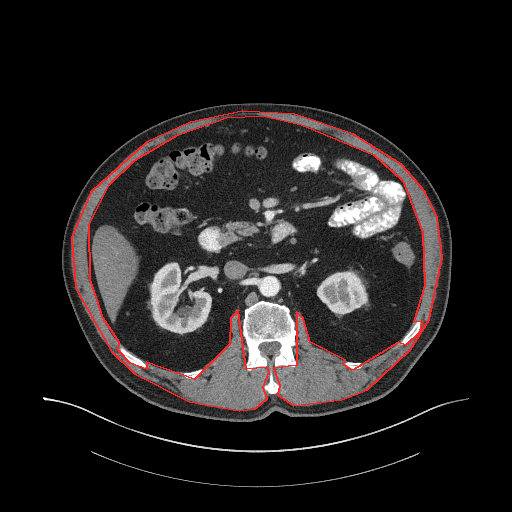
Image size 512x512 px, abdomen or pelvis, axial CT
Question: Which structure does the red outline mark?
Answer: red: muscle.
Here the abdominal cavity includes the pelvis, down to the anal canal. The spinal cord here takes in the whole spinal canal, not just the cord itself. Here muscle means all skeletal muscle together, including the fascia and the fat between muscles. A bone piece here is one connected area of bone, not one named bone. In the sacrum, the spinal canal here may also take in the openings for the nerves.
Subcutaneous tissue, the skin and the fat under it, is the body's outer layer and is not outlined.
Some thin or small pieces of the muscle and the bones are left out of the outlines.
{"muscle":[[[239,410],[255,408],[267,398],[263,387],[269,371],[266,367],[246,369],[238,310],[230,318],[229,344],[194,379],[146,362],[146,369],[130,363],[118,350],[119,342],[103,318],[90,279],[89,224],[109,184],[134,160],[178,134],[226,117],[263,115],[301,124],[373,154],[402,180],[422,232],[424,285],[413,321],[421,320],[420,331],[405,345],[398,342],[352,370],[343,364],[345,360],[310,342],[303,318],[296,312],[296,365],[273,368],[279,385],[277,394],[293,405],[341,399],[367,389],[410,349],[429,319],[442,257],[437,217],[425,192],[401,164],[353,134],[294,114],[242,111],[190,122],[146,142],[90,192],[71,237],[75,288],[111,351],[134,373],[189,401]]],"bones":[{"outer":[[270,394],[276,393],[278,390],[278,385],[273,379],[272,368],[279,365],[293,367],[295,365],[292,349],[296,344],[295,321],[286,305],[259,300],[244,309],[242,334],[248,353],[246,367],[248,370],[259,366],[266,366],[269,369],[269,380],[264,388]],"hole":[[264,355],[272,355],[274,353],[275,353],[276,352],[277,352],[277,351],[278,350],[278,349],[280,346],[280,345],[279,344],[279,343],[278,342],[264,342],[263,343],[261,343],[259,345],[259,348],[261,351],[261,353]]},[[144,368],[146,368],[147,367],[147,365],[141,359],[140,359],[137,356],[136,356],[130,351],[129,351],[120,343],[118,343],[118,345],[119,346],[119,350],[121,354],[126,359],[127,359],[130,362],[138,366],[140,366]],[[400,345],[403,345],[404,344],[405,344],[411,339],[412,339],[417,334],[417,333],[419,331],[419,328],[420,327],[420,320],[419,319],[417,319],[416,320],[416,321],[412,325],[412,326],[410,328],[410,329],[406,333],[406,334],[399,342],[399,344]],[[187,378],[194,378],[195,377],[196,377],[197,376],[198,376],[201,373],[202,373],[204,371],[204,370],[202,368],[200,368],[199,369],[197,369],[196,370],[192,370],[191,371],[185,371],[184,372],[182,372],[182,374],[185,377],[186,377]]],"torso":[[[232,422],[259,420],[274,411],[292,417],[322,416],[376,401],[403,380],[441,326],[452,264],[451,230],[443,204],[404,151],[346,116],[305,105],[244,102],[170,117],[136,134],[104,159],[69,214],[61,249],[64,285],[99,362],[116,381],[151,404]]],"abdominal_cavity":[[[181,371],[224,349],[235,308],[242,317],[259,299],[286,304],[293,317],[299,311],[311,342],[346,360],[365,361],[395,344],[412,323],[423,285],[421,232],[398,176],[327,133],[263,116],[196,128],[123,170],[92,217],[91,279],[118,340],[147,362]]],"spinal_cord":[[[264,355],[272,355],[274,353],[275,353],[276,352],[277,352],[277,351],[278,350],[278,349],[280,346],[280,345],[279,344],[279,343],[278,342],[264,342],[263,343],[261,343],[259,345],[259,348],[261,351],[261,353]]]}